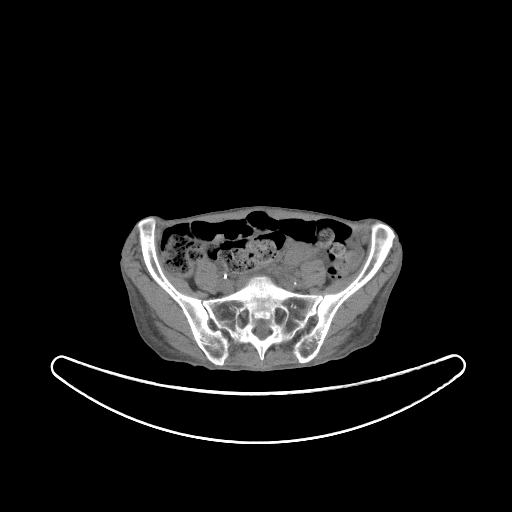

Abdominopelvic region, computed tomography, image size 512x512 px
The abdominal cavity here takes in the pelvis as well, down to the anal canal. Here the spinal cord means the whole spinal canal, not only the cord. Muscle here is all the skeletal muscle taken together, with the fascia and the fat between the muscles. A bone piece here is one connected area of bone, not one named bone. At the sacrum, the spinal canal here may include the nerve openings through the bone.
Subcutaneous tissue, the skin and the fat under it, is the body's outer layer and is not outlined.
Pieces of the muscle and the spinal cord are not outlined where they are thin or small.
Outlines:
abdominal cavity: 253,210 345,222 365,243 365,259 353,274 327,285 324,264 304,261 298,274 308,293 258,274 233,292 210,297 220,289 217,267 200,259 193,270 197,288 192,288 165,262 159,246 162,229 189,220 239,218
spinal cord: 260,321 261,322 263,322 265,324 265,325 269,329 269,330 270,331 269,334 267,336 266,336 264,338 263,338 262,339 259,338 255,334 255,333 254,332 254,330 256,328 256,327 258,325 258,324
bones: 148,216 155,218 163,273 201,300 233,293 258,275 292,292 336,293 360,271 373,223 387,224 396,238 376,273 337,309 310,361 293,353 300,331 261,360 250,343 229,338 228,356 216,365 145,265 136,224, around a hole outlined by 260,321 261,322 263,322 265,324 265,325 269,329 269,330 270,331 269,334 267,336 266,336 264,338 263,338 262,339 259,338 255,334 255,333 254,332 254,330 256,328 256,327 258,325 258,324
torso: 246,205 304,208 351,220 370,216 383,220 397,232 403,247 402,267 389,296 380,332 373,343 344,358 319,365 264,372 209,370 202,366 168,361 144,343 136,330 119,268 121,248 134,224 151,214 171,219
muscle 1: 135,229 137,230 137,237 142,260 149,275 180,307 188,323 194,341 204,354 205,357 213,364 206,363 180,353 164,341 163,338 153,325 152,320 147,313 146,304 142,296 126,274 123,267 123,256 125,248
muscle 2: 396,239 398,243 400,253 397,268 390,278 385,282 366,310 362,317 359,326 355,329 350,338 340,346 339,349 336,352 319,360 311,361 319,353 328,333 333,318 338,309 349,297 366,284 377,273 390,253
muscle 3: 156,219 177,222 166,225 161,229 158,246 164,262 170,268 185,276 192,289 198,288 194,280 194,270 200,260 211,262 216,267 219,274 219,289 214,293 209,292 209,298 201,299 185,294 168,279 157,254
muscle 4: 309,260 318,260 325,267 325,279 323,283 324,286 329,285 335,280 341,278 347,278 359,270 359,271 356,276 346,286 336,292 328,292 324,294 309,293 308,290 303,287 300,281 301,278 299,274 302,264
muscle 5: 263,208 264,209 265,208 282,209 287,211 298,211 325,217 305,218 299,216 275,216 263,209 253,209 239,217 226,217 219,219 189,219 185,221 180,221 215,213 225,213 232,211 238,211 242,209 262,209
muscle 6: 229,339 230,339 231,341 234,344 250,344 255,349 255,350 257,352 258,354 258,357 260,360 256,363 250,366 223,366 223,365 225,363 225,361 226,359 229,356 229,347 231,344
muscle 7: 300,332 297,339 293,343 293,345 292,346 292,353 299,363 298,364 284,364 283,365 279,365 278,364 270,362 264,359 265,357 265,353 271,346 275,344 281,344 282,343 287,343 288,342 290,342 292,341
muscle 8: 368,220 374,220 375,221 370,225 370,239 369,240 369,247 368,248 368,251 367,252 366,256 366,253 367,252 367,245 366,243 362,237 358,233 358,232 356,231 355,228 352,225 346,222 348,223 361,223